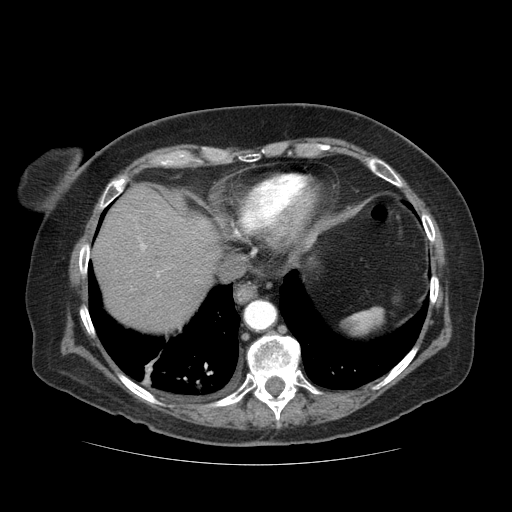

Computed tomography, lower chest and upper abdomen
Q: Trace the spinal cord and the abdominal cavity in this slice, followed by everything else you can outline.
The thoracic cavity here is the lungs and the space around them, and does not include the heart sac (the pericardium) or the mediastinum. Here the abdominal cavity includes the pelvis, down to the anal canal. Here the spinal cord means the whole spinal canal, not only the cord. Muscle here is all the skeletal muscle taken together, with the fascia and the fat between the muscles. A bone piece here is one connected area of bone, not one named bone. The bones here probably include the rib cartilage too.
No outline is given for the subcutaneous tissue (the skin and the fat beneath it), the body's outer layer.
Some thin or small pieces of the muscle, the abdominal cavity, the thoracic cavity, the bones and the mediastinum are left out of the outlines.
A: The spinal cord is outlined by 275 376; 276 377; 278 377; 280 379; 281 379; 282 380; 282 381; 284 384; 284 387; 283 388; 283 389; 277 395; 273 395; 272 394; 271 394; 266 389; 266 388; 265 387; 267 381; 270 378; 271 378; 272 377; 274 377. The abdominal cavity appears in 2 outlined pieces: piece 1: 134 178; 163 180; 203 189; 205 205; 231 243; 231 248; 225 252; 227 262; 224 269; 227 274; 225 281; 221 283; 220 281; 209 290; 181 332; 167 340; 162 336; 142 334; 128 329; 106 312; 90 259; 92 240; 96 237; 106 213; piece 2: 382 190; 400 192; 405 198; 401 203; 416 217; 423 228; 429 251; 428 291; 421 307; 399 327; 369 341; 354 341; 338 335; 324 323; 304 287; 299 272; 294 268; 294 263; 313 247; 316 238; 314 237; 337 207; 339 209; 346 208. The bones appear in 10 outlined pieces: piece 1: 272 333; 290 335; 299 343; 299 368; 309 381; 326 393; 314 394; 300 387; 296 395; 282 408; 279 426; 277 426; 275 415; 269 406; 254 397; 251 392; 235 403; 215 407; 203 406; 228 395; 240 386; 248 371; 247 349; 259 337, around a hole outlined by 275 376; 276 377; 278 377; 280 379; 281 379; 282 380; 282 381; 284 384; 284 387; 283 388; 283 389; 277 395; 273 395; 272 394; 271 394; 266 389; 266 388; 265 387; 267 381; 270 378; 271 378; 272 377; 274 377; piece 2: 278 141; 287 141; 291 145; 305 142; 329 144; 334 148; 317 157; 288 156; 284 153; 278 156; 263 156; 254 162; 243 162; 235 157; 234 161; 219 165; 143 166; 153 156; 176 149; 197 151; 205 145; 243 154; 258 152; 263 146; piece 3: 367 156; 369 157; 377 157; 385 161; 393 169; 393 170; 401 179; 401 180; 404 184; 403 186; 400 188; 398 187; 396 187; 394 185; 388 182; 383 178; 374 174; 365 165; 365 163; 364 162; 364 158; piece 4: 123 173; 127 173; 128 175; 128 180; 127 181; 127 183; 125 185; 125 187; 121 193; 120 193; 119 195; 118 195; 111 202; 110 202; 101 211; 98 208; 98 204; 101 198; 101 196; 104 191; 104 189; 106 187; 106 185; 111 180; piece 5: 417 343; 419 344; 419 348; 415 354; 414 357; 404 368; 404 369; 393 379; 392 379; 385 385; 382 386; 376 390; 373 390; 371 389; 371 387; 380 381; 389 372; 389 371; 404 357; 404 356; 412 348; 412 347; piece 6: 116 372; 122 372; 131 380; 132 380; 134 382; 150 392; 153 395; 154 395; 160 401; 168 405; 171 405; 171 406; 170 407; 168 406; 162 406; 158 404; 151 403; 143 399; 141 397; 138 396; 132 391; 131 391; 119 379; 116 374; piece 7: 84 242; 87 242; 90 244; 90 249; 89 250; 89 260; 88 261; 88 263; 87 264; 87 276; 86 277; 85 276; 82 275; 81 274; 81 273; 79 270; 79 251; 80 250; 80 248; 81 247; 82 244; piece 8: 423 211; 426 211; 430 215; 430 217; 432 220; 432 222; 434 226; 434 229; 435 230; 435 240; 434 242; 430 242; 428 240; 427 238; 427 236; 425 233; 424 228; 422 225; 422 222; 420 218; 420 215; piece 9: 82 303; 84 303; 86 304; 88 308; 89 315; 90 316; 90 318; 91 319; 92 324; 94 327; 94 329; 96 333; 96 336; 95 337; 92 337; 87 332; 86 330; 86 328; 84 326; 84 324; 80 317; 80 315; 79 314; 79 306; piece 10: 432 273; 434 273; 437 276; 437 277; 439 280; 439 290; 438 291; 438 294; 437 295; 437 297; 436 298; 436 300; 435 301; 435 302; 431 305; 430 304; 429 304; 429 285; 430 284; 430 278; 431 277; 431 275; 432 274. The muscle appears in 3 outlined pieces: piece 1: 394 169; 430 208; 442 234; 452 335; 445 347; 365 406; 338 419; 293 428; 204 426; 151 410; 81 356; 61 354; 70 255; 101 194; 97 204; 101 212; 91 242; 84 241; 78 251; 78 270; 87 277; 87 305; 82 302; 78 314; 86 332; 97 336; 121 371; 115 372; 118 379; 135 395; 162 407; 172 405; 159 397; 172 402; 207 402; 203 407; 215 408; 235 404; 251 393; 268 406; 279 427; 283 408; 300 388; 325 395; 321 388; 352 390; 383 377; 370 387; 380 389; 415 357; 420 348; 415 343; 429 305; 436 302; 440 290; 440 280; 430 266; 428 241; 436 240; 433 220; 426 210; 419 215; 398 189; 405 184; piece 2: 319 136; 329 136; 344 139; 377 156; 369 156; 368 155; 365 156; 363 158; 364 164; 357 159; 340 153; 324 154; 335 148; 329 143; 317 141; 305 141; 304 142; 296 142; 291 144; 287 140; 280 140; 299 137; 318 137; piece 3: 179 143; 195 143; 202 145; 197 150; 192 150; 187 148; 176 148; 166 152; 155 154; 147 161; 146 164; 142 166; 144 168; 151 167; 136 175; 129 182; 128 182; 129 175; 127 172; 123 172; 110 180; 121 169; 144 153; 158 147. The thoracic cavity appears in 4 outlined pieces: piece 1: 90 260; 105 312; 128 330; 142 335; 162 337; 166 341; 182 332; 214 286; 231 284; 234 308; 239 316; 238 344; 245 350; 247 366; 244 379; 239 386; 228 394; 210 401; 172 401; 156 396; 126 375; 106 351; 90 315; piece 2: 293 269; 298 272; 303 287; 323 323; 338 336; 354 342; 369 342; 399 328; 422 307; 428 292; 426 315; 414 344; 385 375; 374 381; 352 389; 331 389; 316 385; 306 377; 299 366; 300 343; 291 335; 280 311; 280 286; 285 275; piece 3: 116 198; 113 203; 112 203; 111 205; 109 206; 107 211; 105 213; 105 215; 103 217; 103 219; 101 222; 101 225; 95 237; 93 239; 93 236; 94 235; 94 232; 95 231; 95 229; 97 225; 97 222; 99 219; 99 217; 102 211; piece 4: 406 199; 407 200; 408 200; 413 205; 417 214; 419 216; 419 218; 420 219; 420 221; 421 222; 421 223; 420 223; 420 222; 417 218; 417 217; 405 205; 404 205; 404 204; 403 203; 402 203; 402 201; 403 200; 405 200. The mediastinum appears in 2 outlined pieces: piece 1: 232 244; 243 255; 266 270; 283 270; 293 266; 284 275; 278 290; 279 311; 290 334; 265 333; 256 338; 246 350; 240 347; 240 316; 235 308; 233 286; 231 283; 222 283; 226 281; 228 274; 225 269; 228 265; 226 252; 232 248; piece 2: 328 154; 340 154; 357 160; 399 190; 382 189; 343 208; 337 206; 342 195; 340 179; 331 165; 321 161; 262 162; 239 166; 212 179; 205 192; 203 188; 193 185; 136 177; 158 167; 197 168; 236 161; 254 163; 264 157; 317 158. The pericardium is outlined by 280 162; 321 162; 328 164; 334 169; 339 179; 341 195; 336 208; 313 237; 315 238; 313 245; 309 250; 304 252; 295 260; 293 265; 287 268; 266 269; 243 254; 225 236; 214 220; 210 208; 206 205; 206 189; 212 180; 236 168. The torso is outlined by 278 102; 326 104; 372 117; 417 144; 456 184; 484 263; 473 361; 463 382; 367 432; 314 444; 255 447; 158 434; 43 382; 31 366; 32 331; 24 302; 41 216; 16 201; 24 168; 59 145; 83 145; 85 160; 120 134; 164 116.